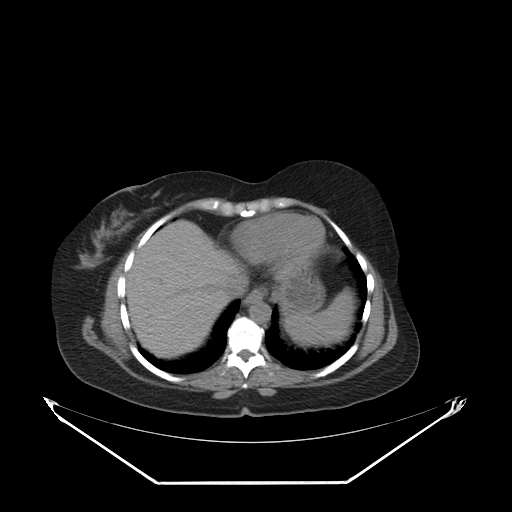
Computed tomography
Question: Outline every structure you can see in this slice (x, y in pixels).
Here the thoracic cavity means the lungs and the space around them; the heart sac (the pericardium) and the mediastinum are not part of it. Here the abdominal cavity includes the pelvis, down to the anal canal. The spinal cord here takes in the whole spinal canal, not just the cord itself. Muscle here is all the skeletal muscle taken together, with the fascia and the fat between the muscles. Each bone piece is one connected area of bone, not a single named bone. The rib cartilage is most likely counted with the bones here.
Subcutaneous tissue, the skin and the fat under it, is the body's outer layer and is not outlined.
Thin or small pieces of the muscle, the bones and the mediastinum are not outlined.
Answer: {"pericardium":[[[278,209],[303,209],[317,216],[329,230],[327,246],[324,246],[319,249],[304,249],[275,267],[254,269],[238,259],[229,249],[226,249],[218,239],[218,234],[221,231],[220,229],[228,222],[242,217],[247,218],[255,216],[259,213],[267,213]]],"torso":[[[307,159],[328,159],[353,167],[381,192],[399,249],[404,302],[420,344],[417,368],[407,382],[385,395],[341,409],[221,418],[140,406],[84,383],[69,370],[56,343],[50,308],[51,266],[61,241],[94,205],[118,189],[168,173],[211,170],[257,182]]],"bones":[{"outer":[[241,316],[249,318],[264,330],[263,345],[271,357],[271,362],[276,364],[278,369],[271,366],[265,370],[262,366],[256,366],[245,378],[237,367],[232,366],[224,374],[219,374],[220,370],[217,367],[221,363],[221,357],[227,345],[227,330],[233,320]],"hole":[[242,350],[248,350],[252,354],[246,360],[244,360],[240,356],[239,356],[239,355],[238,354],[239,353],[239,352],[240,351],[241,351]]},[[280,197],[291,199],[293,202],[290,206],[272,208],[268,211],[258,212],[247,217],[237,214],[228,216],[222,215],[217,210],[199,209],[195,205],[200,201],[210,199],[215,199],[221,202],[229,201],[235,204],[238,202],[257,201],[264,198],[272,200]],[[130,343],[134,344],[137,347],[139,352],[154,366],[163,371],[170,373],[172,375],[183,377],[184,379],[179,382],[172,382],[171,381],[166,380],[154,374],[152,372],[148,370],[144,366],[143,366],[137,360],[137,359],[130,350],[130,348],[129,347]],[[355,341],[358,343],[358,347],[353,355],[347,361],[346,361],[342,365],[341,365],[332,372],[324,376],[321,376],[320,377],[314,377],[312,376],[312,374],[313,373],[317,372],[322,368],[329,365],[335,360],[339,358],[343,354],[344,354]],[[168,213],[171,213],[172,214],[171,218],[170,218],[167,221],[162,224],[157,229],[156,229],[155,231],[154,231],[153,233],[151,234],[145,243],[144,243],[143,245],[141,246],[141,247],[137,248],[137,244],[139,242],[140,239],[146,230],[156,220]],[[357,252],[359,252],[365,259],[366,261],[366,265],[367,266],[367,272],[368,273],[370,273],[372,275],[373,279],[374,280],[374,285],[373,286],[373,290],[369,294],[367,293],[367,281],[366,280],[366,275],[362,270],[357,259],[355,257],[355,254]],[[327,218],[329,218],[331,219],[346,234],[346,235],[350,240],[351,242],[351,244],[352,245],[352,248],[351,250],[350,250],[346,246],[346,245],[343,242],[341,238],[336,233],[334,229],[328,222],[327,220]],[[122,302],[124,302],[124,303],[125,304],[125,307],[126,308],[126,310],[127,311],[127,316],[128,317],[128,320],[129,321],[129,329],[125,329],[124,328],[124,327],[123,326],[123,324],[122,323],[122,321],[121,320],[121,317],[120,316],[120,304]],[[121,275],[124,275],[124,276],[125,277],[125,294],[124,295],[124,297],[123,298],[120,298],[118,296],[118,295],[117,294],[117,281],[118,280],[118,278]],[[367,298],[368,299],[369,299],[369,300],[370,301],[370,311],[369,312],[369,315],[367,318],[367,320],[366,321],[366,322],[364,324],[363,324],[361,322],[361,319],[362,318],[362,314],[363,313],[363,310],[364,309],[365,302],[366,301]],[[131,250],[134,250],[135,251],[135,254],[134,255],[134,257],[133,258],[133,261],[131,264],[131,266],[129,268],[129,269],[127,271],[127,272],[124,272],[124,265],[125,264],[125,261],[126,260],[126,258],[127,257],[127,256],[128,255],[129,252]]],"abdominal_cavity":[[[181,215],[199,220],[213,232],[218,243],[226,251],[233,254],[246,266],[251,275],[245,292],[239,299],[234,299],[217,318],[205,346],[181,359],[164,360],[154,357],[138,345],[134,339],[124,301],[126,276],[136,253],[152,234],[169,220]],[[324,247],[335,247],[343,250],[347,262],[355,274],[360,296],[357,321],[354,325],[353,333],[342,345],[319,351],[296,351],[288,348],[279,336],[278,309],[274,305],[275,299],[272,296],[271,290],[272,273],[276,267],[300,252],[304,250],[319,250]]],"spinal_cord":[[[242,350],[248,350],[252,354],[246,360],[244,360],[240,356],[239,356],[239,355],[238,354],[239,353],[239,352],[240,351],[241,351]]],"mediastinum":[[[247,266],[254,270],[265,270],[268,268],[269,269],[274,268],[271,273],[270,279],[271,296],[274,299],[273,308],[271,313],[271,325],[265,331],[255,321],[245,315],[241,315],[234,318],[240,306],[240,298],[246,292],[250,285],[250,277],[252,274]],[[193,210],[211,211],[216,214],[228,217],[235,215],[241,217],[228,221],[219,229],[220,231],[217,234],[217,239],[219,240],[221,245],[215,237],[214,232],[207,226],[204,225],[199,219],[198,220],[191,217],[186,217],[185,215],[182,215]],[[322,220],[323,220],[329,226],[329,227],[331,228],[334,232],[335,232],[345,245],[342,249],[339,247],[336,247],[335,246],[328,246],[329,245],[329,235],[330,234],[330,230],[329,228],[325,224],[324,224],[324,222],[322,221]]],"thoracic_cavity":[[[344,247],[356,259],[366,281],[367,294],[361,325],[353,343],[339,357],[314,371],[298,370],[273,361],[264,345],[264,338],[272,325],[274,306],[277,309],[278,336],[288,349],[296,352],[331,350],[342,346],[354,333],[361,296],[358,279],[348,262]],[[238,299],[239,300],[238,309],[226,330],[226,345],[220,357],[220,360],[213,367],[200,373],[175,375],[157,367],[140,352],[137,344],[138,346],[158,360],[175,361],[181,360],[201,350],[206,346],[210,340],[212,331],[218,318],[234,300]]],"muscle":[[[146,228],[136,244],[137,251],[131,249],[125,258],[126,275],[117,278],[116,294],[123,299],[119,304],[122,326],[131,332],[136,344],[129,343],[130,352],[143,367],[166,381],[179,383],[185,379],[180,376],[203,373],[220,361],[216,367],[220,376],[235,367],[245,379],[256,367],[278,370],[280,367],[272,361],[314,372],[314,378],[342,366],[359,347],[356,336],[370,315],[367,295],[375,285],[364,256],[351,252],[351,240],[377,271],[391,299],[398,330],[396,342],[386,354],[349,378],[320,386],[281,387],[270,396],[247,388],[246,381],[241,385],[244,389],[218,399],[211,397],[210,391],[162,387],[139,380],[89,345],[81,325],[87,315],[100,309],[113,268]],[[207,197],[219,197],[220,198],[226,198],[228,200],[226,201],[221,201],[215,198],[203,199],[202,200],[200,200],[196,202],[194,204],[195,207],[198,209],[193,209],[192,210],[190,210],[185,213],[183,213],[180,215],[178,215],[172,218],[173,214],[171,212],[168,212],[169,212],[174,208],[177,207],[179,205],[183,203],[185,203],[186,202],[188,202],[192,200],[196,200],[197,199],[200,199],[201,198],[206,198]],[[290,198],[298,199],[313,204],[318,207],[326,209],[328,212],[327,213],[330,217],[330,218],[327,217],[326,220],[331,227],[330,227],[330,226],[323,219],[322,219],[319,215],[317,215],[309,209],[300,206],[292,205],[294,201]]]}